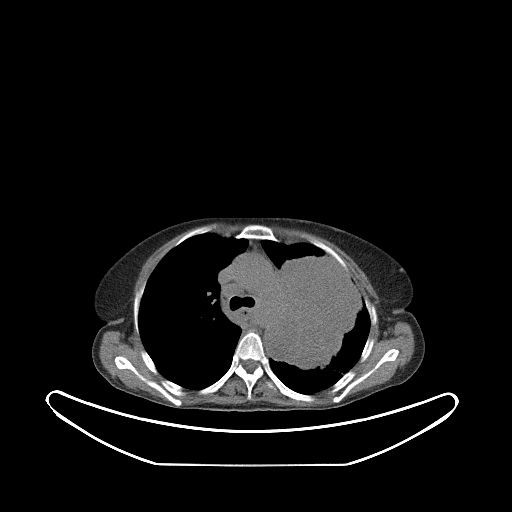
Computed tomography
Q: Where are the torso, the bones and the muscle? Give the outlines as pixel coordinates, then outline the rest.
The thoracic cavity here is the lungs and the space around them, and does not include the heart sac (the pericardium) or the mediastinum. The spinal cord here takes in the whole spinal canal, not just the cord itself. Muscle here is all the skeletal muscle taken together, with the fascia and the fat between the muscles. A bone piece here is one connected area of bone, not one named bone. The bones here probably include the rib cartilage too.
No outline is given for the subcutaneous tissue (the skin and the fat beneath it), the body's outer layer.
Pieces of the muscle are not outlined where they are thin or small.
A: The torso is outlined by 210 216; 312 220; 351 232; 389 253; 403 266; 413 285; 413 298; 407 310; 415 316; 425 341; 417 370; 398 385; 323 410; 176 409; 112 386; 97 371; 91 356; 93 339; 104 324; 93 307; 100 279; 114 262; 146 237; 176 223. The bones appear in 10 outlined pieces: piece 1: 249 331; 260 336; 265 355; 275 375; 290 389; 301 394; 313 395; 314 401; 296 400; 284 395; 276 387; 269 387; 266 382; 270 379; 266 374; 256 380; 250 399; 247 399; 244 380; 236 374; 216 391; 198 393; 228 370; 240 338 with a hole at 248 359; 251 359; 252 360; 254 360; 255 361; 256 361; 257 362; 257 366; 251 372; 249 372; 248 371; 247 371; 244 368; 244 367; 243 366; 243 362; 245 360; 247 360; piece 2: 119 355; 124 356; 138 372; 147 379; 157 383; 159 383; 162 379; 166 379; 183 387; 186 393; 184 395; 177 397; 180 399; 182 403; 181 405; 178 406; 169 401; 158 390; 141 380; 130 369; 118 368; 115 364; 114 359; 116 356; piece 3: 391 348; 398 350; 398 354; 394 360; 383 362; 366 378; 352 387; 340 401; 335 403; 333 402; 332 399; 343 390; 340 389; 336 392; 330 392; 331 387; 345 373; 351 369; 355 372; 354 377; 355 378; 360 377; 370 370; 382 356; piece 4: 247 224; 263 224; 264 225; 269 226; 272 230; 272 232; 274 235; 278 239; 279 239; 280 241; 274 241; 269 239; 263 239; 262 240; 261 239; 256 239; 255 238; 249 238; 248 239; 247 238; 235 238; 234 235; 239 233; piece 5: 303 233; 306 233; 309 235; 311 235; 315 237; 318 240; 319 240; 321 242; 331 248; 344 261; 346 265; 346 267; 347 268; 347 271; 346 271; 332 257; 325 253; 323 250; 317 247; 315 245; 308 242; 308 241; 301 235; piece 6: 210 223; 216 223; 217 224; 217 227; 211 232; 207 232; 206 233; 203 233; 202 234; 197 234; 196 235; 191 236; 185 239; 179 244; 172 247; 179 239; 180 239; 185 234; 186 234; 191 230; 199 226; 205 225; 206 224; 209 224; piece 7: 145 280; 146 280; 146 283; 143 290; 143 293; 141 296; 141 298; 139 302; 139 308; 138 309; 138 314; 137 315; 138 331; 139 332; 139 334; 135 329; 135 326; 134 325; 133 303; 134 302; 135 293; 139 289; 143 281; piece 8: 143 349; 144 349; 147 352; 147 353; 149 355; 149 356; 153 361; 153 362; 155 365; 155 367; 158 372; 158 373; 157 374; 155 374; 153 372; 152 372; 147 367; 147 366; 145 364; 145 363; 144 362; 144 361; 140 354; 140 351; piece 9: 368 337; 370 337; 372 338; 374 340; 374 342; 373 343; 373 345; 372 346; 372 348; 371 349; 371 351; 370 353; 365 359; 365 360; 361 362; 359 360; 359 359; 360 358; 361 353; 363 350; 363 348; 365 345; 365 343; piece 10: 365 298; 367 298; 368 300; 375 307; 375 310; 376 311; 376 314; 377 315; 377 319; 374 325; 372 325; 371 324; 371 322; 370 321; 370 316; 367 310; 367 308; 364 303; 364 299. The muscle appears in 6 outlined pieces: piece 1: 378 317; 381 336; 394 322; 404 321; 411 326; 414 335; 412 356; 389 380; 344 398; 383 363; 394 361; 399 354; 397 348; 389 348; 370 369; 355 377; 356 372; 352 368; 358 361; 365 361; 372 351; 375 340; 369 336; 369 332; piece 2: 132 312; 134 329; 144 348; 139 354; 152 373; 159 373; 164 378; 159 382; 147 378; 121 354; 114 357; 114 364; 120 370; 130 370; 167 400; 118 382; 100 360; 99 346; 103 333; 114 329; 124 332; 125 337; 128 337; 133 330; piece 3: 233 375; 243 380; 246 386; 247 400; 252 398; 254 385; 264 375; 269 379; 265 382; 269 388; 276 388; 284 396; 296 401; 312 403; 316 400; 313 394; 317 392; 328 388; 330 388; 330 393; 342 390; 331 399; 333 403; 321 405; 279 405; 267 401; 247 401; 239 404; 204 402; 182 405; 183 403; 178 397; 184 396; 187 393; 185 389; 198 390; 197 393; 199 395; 211 394; 220 389; piece 4: 273 225; 304 230; 332 242; 344 251; 364 272; 375 290; 379 299; 376 310; 376 307; 367 297; 362 299; 358 288; 347 273; 348 268; 345 261; 331 247; 315 236; 306 232; 303 232; 300 235; 307 241; 287 243; 275 235; 270 226; piece 5: 192 228; 194 228; 185 233; 173 244; 171 248; 161 258; 155 266; 148 278; 142 281; 138 289; 134 293; 134 296; 133 297; 133 302; 132 301; 132 297; 133 296; 134 295; 133 294; 133 292; 134 291; 135 282; 139 275; 139 273; 143 264; 148 257; 156 249; 170 239; piece 6: 213 222; 223 222; 224 223; 229 223; 230 224; 246 224; 241 229; 241 230; 239 232; 238 232; 233 235; 231 235; 230 236; 224 236; 223 235; 221 235; 216 232; 212 232; 213 231; 214 231; 218 227; 218 224; 216 222. The spinal cord is outlined by 248 359; 251 359; 252 360; 254 360; 255 361; 256 361; 257 362; 257 366; 251 372; 249 372; 248 371; 247 371; 244 368; 244 367; 243 366; 243 362; 245 360; 247 360. The mediastinum is outlined by 249 239; 261 240; 261 245; 271 260; 279 283; 277 305; 268 318; 265 328; 262 331; 262 337; 257 332; 252 330; 247 331; 241 336; 241 327; 232 321; 222 309; 220 300; 221 287; 217 279; 218 272; 247 248. The thoracic cavity appears in 2 outlined pieces: piece 1: 263 240; 281 241; 287 244; 307 242; 323 251; 332 258; 351 279; 363 300; 369 316; 370 326; 368 336; 358 360; 330 387; 312 394; 301 393; 287 386; 273 371; 265 352; 262 341; 263 331; 278 305; 280 283; 272 260; 262 245; piece 2: 207 233; 247 239; 246 248; 220 269; 216 276; 220 287; 221 309; 232 322; 240 327; 241 333; 227 370; 211 384; 200 389; 190 389; 165 378; 158 371; 142 342; 138 315; 147 280; 162 258; 185 240.